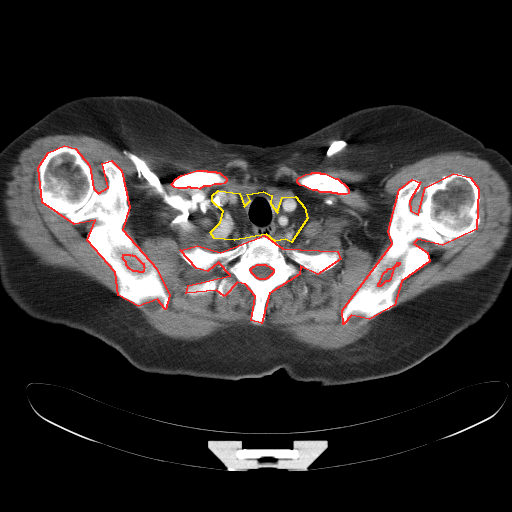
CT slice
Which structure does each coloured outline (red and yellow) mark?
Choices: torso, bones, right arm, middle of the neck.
red: bones; yellow: middle of the neck.
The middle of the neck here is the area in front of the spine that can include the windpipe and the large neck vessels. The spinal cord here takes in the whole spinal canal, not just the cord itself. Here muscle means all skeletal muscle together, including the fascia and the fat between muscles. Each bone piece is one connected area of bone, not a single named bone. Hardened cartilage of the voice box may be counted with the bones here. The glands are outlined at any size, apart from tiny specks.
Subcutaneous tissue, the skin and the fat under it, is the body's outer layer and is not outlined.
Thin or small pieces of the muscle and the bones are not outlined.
{"bones":[{"outer":[[64,145],[75,148],[89,165],[93,188],[98,193],[108,187],[102,163],[111,160],[121,170],[129,207],[122,229],[156,268],[169,295],[165,309],[157,299],[138,306],[118,295],[115,272],[87,240],[95,220],[74,224],[42,202],[38,167],[48,152]],"hole":[[123,254],[129,254],[130,255],[131,254],[132,255],[134,255],[142,263],[143,263],[143,266],[144,267],[143,269],[143,271],[142,272],[139,272],[138,271],[133,271],[129,268],[128,268],[128,267],[126,265],[126,262],[123,259],[122,257],[123,256]]},{"outer":[[453,173],[470,177],[478,188],[476,229],[442,245],[417,239],[413,243],[427,252],[429,261],[401,281],[394,305],[369,319],[351,315],[343,324],[342,310],[392,243],[388,231],[399,189],[412,179],[420,182],[409,201],[410,210],[418,214],[425,187]],"hole":[[397,262],[399,262],[399,264],[397,266],[395,266],[394,267],[392,271],[392,273],[391,274],[390,279],[388,281],[385,281],[380,286],[378,286],[378,283],[380,281],[383,273],[385,271],[386,271],[388,268],[391,268],[393,267],[396,264]]},{"outer":[[264,235],[282,248],[337,251],[340,259],[317,274],[300,266],[299,274],[269,293],[261,323],[251,320],[255,296],[245,284],[237,282],[224,296],[216,290],[186,293],[188,285],[230,275],[218,262],[207,271],[196,268],[180,250],[197,245],[220,252]],"hole":[[257,264],[265,264],[266,265],[269,266],[271,268],[272,268],[273,269],[273,272],[271,274],[271,275],[270,275],[267,278],[266,278],[265,279],[259,279],[258,278],[257,278],[251,272],[251,271],[250,270],[250,269],[253,266],[254,266]]},[[312,172],[319,172],[320,173],[325,173],[335,178],[337,178],[347,187],[348,189],[348,193],[346,194],[338,194],[337,193],[332,193],[331,192],[320,192],[317,190],[312,190],[304,186],[300,185],[297,182],[297,179],[299,177],[305,174],[311,173]],[[196,170],[206,170],[207,171],[215,171],[216,172],[219,172],[226,178],[226,181],[224,183],[221,184],[214,184],[210,186],[203,186],[199,189],[197,188],[191,188],[190,187],[187,187],[186,188],[177,188],[174,187],[171,184],[176,178],[181,175]]],"middle_of_the_neck":[[[218,190],[239,193],[244,206],[250,200],[247,194],[263,191],[271,195],[270,203],[277,212],[282,197],[295,196],[304,207],[307,218],[291,242],[285,239],[275,241],[266,234],[234,240],[214,238],[210,232],[220,222],[223,211],[212,201],[212,195]]],"muscle":[{"outer":[[55,134],[85,134],[174,158],[236,154],[260,169],[290,160],[387,172],[439,152],[471,152],[506,180],[511,232],[482,269],[391,309],[402,281],[430,261],[417,240],[442,246],[472,234],[481,221],[479,188],[464,173],[428,183],[418,213],[410,201],[421,182],[412,178],[400,187],[388,224],[391,243],[340,313],[346,325],[351,316],[369,320],[389,311],[375,322],[359,359],[252,325],[197,340],[144,337],[139,311],[121,298],[138,307],[157,300],[165,310],[170,295],[123,229],[129,194],[111,159],[101,163],[107,187],[98,192],[79,151],[60,145],[37,167],[38,194],[74,225],[95,221],[86,240],[114,272],[117,294],[41,263],[6,219],[3,191],[19,153]],"holes":[[[218,190],[237,192],[241,197],[257,191],[280,199],[298,197],[306,221],[294,240],[277,242],[282,248],[309,254],[337,251],[339,261],[317,274],[300,266],[299,274],[269,293],[265,319],[259,324],[251,320],[255,296],[245,284],[237,282],[224,296],[216,290],[187,294],[188,285],[230,275],[218,262],[207,271],[196,268],[181,257],[180,250],[197,245],[220,252],[252,238],[210,235],[222,217],[223,211],[212,201]],[[312,172],[319,172],[320,173],[325,173],[335,178],[337,178],[347,187],[348,189],[348,193],[346,194],[338,194],[337,193],[332,193],[331,192],[320,192],[317,190],[312,190],[304,186],[300,185],[297,182],[297,179],[299,177],[305,174],[311,173]],[[196,170],[206,170],[207,171],[215,171],[216,172],[219,172],[226,178],[226,181],[224,183],[221,184],[214,184],[210,186],[203,186],[199,189],[197,188],[191,188],[190,187],[187,187],[186,188],[177,188],[174,187],[171,184],[176,178],[181,175]]]},[[123,254],[129,254],[130,255],[131,254],[132,255],[134,255],[142,263],[143,263],[143,266],[144,267],[143,269],[143,271],[142,272],[139,272],[138,271],[133,271],[129,268],[128,268],[128,267],[126,265],[126,262],[123,259],[122,257],[123,256]],[[397,262],[399,262],[399,264],[397,266],[395,266],[394,267],[392,271],[392,273],[391,274],[390,279],[388,281],[385,281],[380,286],[378,286],[378,283],[380,281],[383,273],[385,271],[386,271],[388,268],[391,268],[393,267],[396,264]]],"thyroid_glands":[[[272,196],[276,196],[277,197],[278,197],[280,199],[280,200],[281,201],[281,204],[279,206],[279,207],[278,208],[278,210],[277,211],[275,209],[274,209],[274,208],[273,207],[273,206],[272,205],[272,204],[271,203],[271,198],[272,197]],[[244,195],[248,195],[249,196],[249,200],[248,201],[248,202],[247,203],[247,204],[246,205],[244,205],[243,204],[243,203],[242,202],[242,201],[241,200],[241,197],[242,196],[243,196]]],"right_arm":[[[89,95],[96,95],[97,98],[97,129],[96,130],[96,140],[95,141],[95,166],[93,171],[93,177],[89,192],[77,211],[67,223],[52,238],[44,244],[17,273],[0,285],[0,150],[20,133],[58,105],[75,98],[78,98],[82,96],[88,96]]],"spinal_cord":[[[257,264],[265,264],[266,265],[269,266],[271,268],[272,268],[273,269],[273,272],[271,274],[271,275],[270,275],[267,278],[266,278],[265,279],[259,279],[258,278],[257,278],[251,272],[251,271],[250,270],[250,269],[253,266],[254,266]]],"torso":[[[125,94],[158,100],[223,142],[259,146],[302,137],[359,108],[404,104],[423,212],[447,249],[503,289],[501,295],[477,323],[416,365],[331,386],[291,379],[283,369],[236,380],[148,373],[93,336],[27,316],[0,286],[88,196],[96,166],[97,95]]],"left_arm":[[[405,104],[421,108],[454,124],[481,140],[486,146],[496,149],[511,161],[511,276],[508,279],[504,289],[490,280],[479,275],[462,263],[448,249],[438,236],[431,225],[428,217],[424,212],[416,189],[414,175],[410,161],[410,153],[407,135],[407,114]]]}